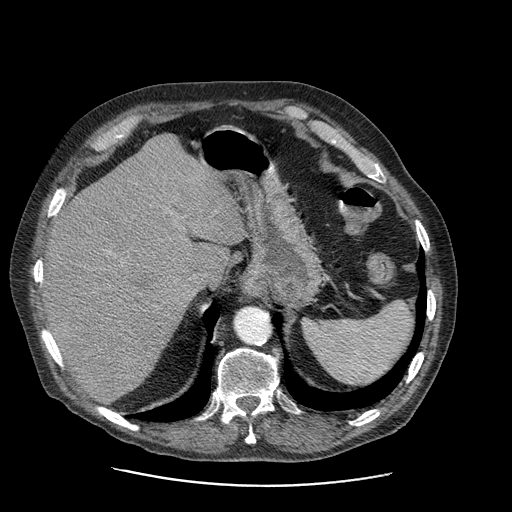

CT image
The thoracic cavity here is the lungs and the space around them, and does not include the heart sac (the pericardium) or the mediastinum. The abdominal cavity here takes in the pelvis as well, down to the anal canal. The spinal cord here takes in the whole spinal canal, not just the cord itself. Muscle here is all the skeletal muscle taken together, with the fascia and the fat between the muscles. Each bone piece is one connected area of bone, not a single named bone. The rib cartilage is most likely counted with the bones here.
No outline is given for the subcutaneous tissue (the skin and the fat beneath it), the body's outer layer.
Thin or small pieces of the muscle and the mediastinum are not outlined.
The abdominal cavity is outlined by 214,107 287,117 336,167 392,194 419,242 413,337 377,381 350,391 325,390 294,369 275,308 225,291 203,314 205,347 191,385 171,401 122,415 72,377 48,328 42,301 46,242 81,171 104,162 140,130. The spinal cord is outlined by 249,396 251,396 252,397 258,397 259,398 259,402 258,404 251,411 249,412 247,412 243,409 242,409 240,407 239,407 237,405 236,403 236,400 242,397 248,397. The bones appear in 11 outlined pieces: piece 1: 237,347 249,347 275,356 279,385 305,412 288,412 274,399 274,411 260,413 251,420 256,439 253,444 244,440 249,426 239,415 227,424 219,420 220,410 205,420 191,421 209,401 216,385 218,361 226,352; inner edge: 249,396 251,396 252,397 258,397 259,398 259,402 258,404 251,411 249,412 247,412 243,409 242,409 240,407 239,407 237,405 236,403 236,400 242,397 248,397; piece 2: 286,105 294,105 300,107 308,113 310,118 321,120 336,129 351,144 379,165 382,172 386,177 386,182 382,183 375,181 362,173 352,160 341,149 322,139 312,131 306,120 288,117 283,113 282,110; piece 3: 135,114 141,114 143,116 142,119 137,125 131,130 129,135 128,135 127,137 121,142 115,145 114,147 104,152 97,152 88,145 88,142 93,139 97,135 107,130 113,125 117,124 128,116 134,115; piece 4: 97,404 105,406 107,408 109,408 111,410 119,413 132,423 135,423 139,425 140,427 139,430 137,431 134,431 126,427 124,427 116,423 114,423 112,421 109,420 103,415 100,414 94,408 94,406; piece 5: 43,327 45,327 49,330 51,333 51,335 53,339 55,341 55,343 57,347 59,349 59,351 61,354 61,356 63,360 63,363 64,364 64,368 63,369 62,369 53,359 40,336 40,331; piece 6: 61,186 63,187 66,187 67,188 67,195 66,196 66,198 64,202 62,204 59,211 57,213 57,215 56,215 55,217 48,217 47,216 47,211 48,210 48,206 49,205 50,200 55,190 58,187 60,187; piece 7: 374,407 376,407 380,411 380,414 376,418 373,419 371,421 367,423 365,423 359,426 352,426 348,423 348,420 353,419 357,417 364,411 366,410 368,410; piece 8: 419,350 423,350 424,351 424,358 423,359 423,361 422,362 417,373 414,376 414,377 407,384 406,383 405,383 405,381 406,380 406,377 407,376 407,369 408,368 413,357 415,355 415,354; piece 9: 416,218 418,219 422,223 428,235 428,237 429,238 429,244 430,245 430,247 429,248 429,250 425,253 416,235 416,230 415,229 415,223 414,222 414,220; piece 10: 428,288 431,288 432,289 432,290 435,295 435,299 436,300 436,306 435,307 435,312 434,313 434,315 433,316 433,318 432,319 432,320 431,320 430,321 427,321 426,320 426,306 427,305 427,289; piece 11: 39,257 41,257 42,258 42,261 43,262 43,280 42,281 41,286 40,285 39,285 39,284 38,283 35,282 35,281 34,280 34,278 33,277 33,274 32,273 34,263 35,262 35,261. The thoracic cavity appears in 2 outlined pieces: piece 1: 420,245 424,252 427,288 425,321 418,349 399,383 372,406 344,410 313,408 293,398 281,383 283,356 274,314 281,317 281,338 289,361 308,384 330,392 350,392 369,386 392,370 414,337 420,290 416,265; piece 2: 214,302 216,302 219,307 219,315 212,334 215,385 203,408 197,414 191,417 173,421 143,421 134,419 130,420 126,418 124,416 150,410 171,402 181,396 192,385 199,373 206,347 208,332 204,323 204,314. The mediastinum appears in 2 outlined pieces: piece 1: 229,291 252,296 275,309 277,312 273,314 272,321 275,325 280,341 279,346 281,348 282,356 279,370 279,363 275,355 249,346 237,346 226,351 217,361 215,368 213,334 220,315 220,307 215,301 222,294; piece 2: 287,118 293,118 306,122 309,129 312,132 322,140 341,150 351,160 357,169 362,174 373,180 373,181 370,179 350,172 348,170 346,170 341,167 336,166 329,158 328,154 322,147 316,142 305,137 297,123. The torso is outlined by 214,80 291,80 342,97 385,134 409,173 440,210 457,268 454,331 426,395 410,420 394,433 314,461 191,461 150,453 120,441 68,410 42,387 11,298 8,267 20,217 50,154 74,122 110,98 152,84. The muscle is outlined by 278,98 305,102 339,123 380,160 422,213 443,288 438,345 422,384 402,408 380,424 327,450 298,453 254,444 257,439 252,420 274,412 274,400 294,415 306,412 296,401 329,411 372,407 406,374 407,385 415,377 425,358 425,351 419,349 425,322 433,320 437,306 425,274 425,254 431,245 423,223 416,217 414,227 383,185 387,177 380,165 327,122 310,117 294,104 281,109 284,117 246,107 214,106 138,130 104,161 78,173 75,188 61,209 68,195 68,188 62,185 54,190 47,206 46,216 55,219 43,257 34,261 31,271 34,282 41,287 47,322 39,336 56,364 62,370 65,366 77,384 96,400 93,408 134,432 141,427 132,420 173,422 191,418 191,422 200,422 219,411 218,420 223,425 236,416 247,422 243,440 248,445 217,454 164,446 117,430 62,393 39,345 28,301 28,268 42,201 86,138 135,105; inner edges: 135,114 141,114 143,116 142,119 137,125 131,130 129,135 128,135 127,137 121,142 115,145 114,147 104,152 97,152 88,145 88,142 93,139 97,135 107,130 113,125 117,124 128,116 134,115, then 374,407 376,407 380,411 380,414 376,418 373,419 371,421 367,423 365,423 359,426 352,426 348,423 348,420 353,419 357,417 364,411 366,410 368,410.